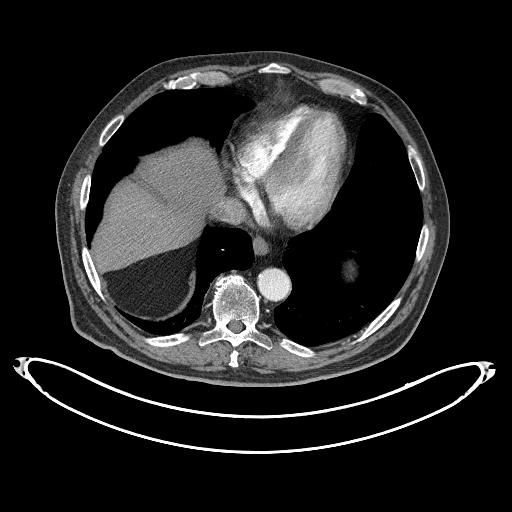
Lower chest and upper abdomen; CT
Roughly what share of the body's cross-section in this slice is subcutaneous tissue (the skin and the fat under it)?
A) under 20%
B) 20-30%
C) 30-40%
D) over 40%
Answer: A) under 20%
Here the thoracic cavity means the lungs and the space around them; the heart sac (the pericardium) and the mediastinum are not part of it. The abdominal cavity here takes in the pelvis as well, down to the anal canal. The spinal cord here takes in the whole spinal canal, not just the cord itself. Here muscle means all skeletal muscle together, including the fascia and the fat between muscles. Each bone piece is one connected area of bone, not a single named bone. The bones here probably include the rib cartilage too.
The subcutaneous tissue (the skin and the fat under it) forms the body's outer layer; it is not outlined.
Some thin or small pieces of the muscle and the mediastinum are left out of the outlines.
Outlined structures:
torso: (239, 387) (308, 383) (357, 371) (393, 355) (405, 345) (417, 327) (449, 243) (450, 215) (444, 182) (423, 128) (406, 102) (391, 88) (363, 73) (289, 51) (185, 55) (146, 68) (126, 83) (89, 123) (65, 163) (56, 190) (56, 240) (75, 331) (96, 345) (159, 373)
bones 1: (232, 367) (238, 366) (236, 348) (243, 341) (250, 340) (266, 349) (271, 348) (270, 337) (256, 326) (261, 315) (260, 297) (238, 274) (217, 277) (211, 299) (214, 324) (202, 331) (202, 336) (198, 341) (199, 345) (203, 346) (221, 339) (227, 340) (233, 347) (228, 363); inner edge: (236, 333) (237, 333) (238, 332) (239, 332) (243, 328) (243, 324) (240, 321) (236, 321) (235, 320) (232, 320) (231, 321) (230, 321) (229, 322) (229, 323) (228, 324) (228, 327) (229, 328) (229, 329) (230, 329) (233, 332) (235, 332)
bones 2: (164, 89) (175, 89) (176, 88) (190, 89) (196, 87) (198, 85) (206, 85) (207, 86) (224, 85) (230, 83) (231, 82) (231, 79) (227, 74) (222, 71) (218, 71) (217, 70) (205, 71) (204, 72) (195, 71) (163, 83) (163, 88)
bones 3: (361, 105) (366, 105) (368, 101) (367, 100) (366, 95) (360, 88) (353, 86) (339, 79) (335, 79) (334, 78) (322, 78) (321, 79) (319, 79) (317, 81) (317, 85) (322, 91) (326, 93) (337, 94) (342, 97) (344, 96) (347, 96) (352, 101) (356, 102)
bones 4: (351, 343) (355, 343) (356, 342) (358, 342) (359, 341) (363, 340) (370, 334) (374, 332) (379, 327) (380, 327) (391, 316) (391, 315) (398, 307) (402, 299) (402, 296) (396, 297) (367, 326) (366, 329) (363, 332) (363, 333) (358, 337) (355, 338) (351, 342)
bones 5: (103, 301) (105, 301) (105, 296) (102, 292) (101, 284) (97, 275) (97, 273) (95, 270) (95, 268) (93, 265) (89, 251) (86, 245) (82, 245) (81, 247) (81, 256) (82, 257) (82, 261) (83, 262) (83, 265) (84, 266) (85, 271) (90, 281) (90, 283)
bones 6: (420, 192) (423, 191) (425, 185) (425, 179) (424, 178) (424, 173) (422, 167) (422, 161) (417, 149) (411, 144) (409, 144) (407, 145) (406, 148) (407, 149) (408, 158) (411, 167) (413, 170) (415, 176) (415, 179)
bones 7: (155, 346) (169, 346) (170, 345) (175, 345) (176, 344) (181, 343) (184, 341) (188, 340) (190, 338) (190, 334) (188, 332) (179, 332) (178, 333) (175, 333) (174, 334) (171, 334) (166, 336) (147, 336) (146, 337) (143, 337) (143, 340) (145, 342)
bones 8: (100, 147) (102, 147) (107, 142) (107, 141) (112, 136) (112, 135) (116, 131) (116, 130) (119, 127) (119, 126) (123, 122) (125, 118) (125, 116) (123, 114) (120, 113) (114, 116) (104, 127) (99, 137) (99, 141) (98, 142) (98, 145)
bones 9: (304, 357) (312, 357) (314, 356) (316, 354) (316, 353) (313, 349) (309, 347) (307, 347) (306, 346) (300, 345) (288, 339) (286, 337) (282, 337) (280, 339) (279, 341) (279, 344) (280, 346) (292, 353) (294, 353) (297, 355) (303, 356)
bones 10: (414, 263) (416, 263) (420, 260) (424, 252) (424, 250) (425, 249) (425, 247) (428, 240) (428, 237) (429, 236) (429, 229) (426, 223) (423, 223) (422, 227) (421, 228) (420, 235) (418, 239) (418, 242) (417, 243) (417, 246) (416, 247) (416, 250) (415, 251)
bones 11: (84, 213) (85, 212) (85, 209) (89, 198) (89, 190) (90, 189) (90, 184) (91, 183) (91, 174) (90, 173) (87, 173) (83, 178) (82, 184) (81, 185) (81, 189) (80, 190) (80, 199) (79, 200) (79, 202) (80, 203) (80, 208)
bones 12: (275, 74) (288, 74) (290, 72) (290, 69) (289, 68) (288, 68) (285, 66) (283, 66) (282, 65) (281, 65) (280, 64) (279, 64) (277, 62) (270, 62) (267, 65) (266, 65) (264, 67) (261, 67) (260, 68) (259, 68) (257, 71) (258, 72) (258, 73) (274, 73)
abdominal cavity 1: (151, 321) (176, 314) (189, 300) (195, 284) (197, 247) (202, 232) (207, 226) (208, 212) (226, 193) (227, 184) (217, 152) (207, 139) (200, 136) (189, 136) (180, 142) (138, 157) (132, 171) (116, 182) (108, 194) (102, 218) (89, 250) (102, 287) (114, 305) (131, 315)
abdominal cavity 2: (346, 283) (351, 283) (355, 281) (355, 280) (357, 278) (359, 274) (359, 266) (356, 260) (355, 260) (353, 258) (347, 258) (345, 260) (344, 260) (343, 262) (342, 262) (342, 264) (341, 265) (341, 271) (340, 272) (341, 273) (340, 274) (341, 275) (341, 278) (342, 280)
thoracic cavity 1: (315, 350) (338, 345) (362, 333) (395, 297) (413, 263) (422, 224) (421, 197) (404, 145) (387, 120) (376, 112) (369, 114) (361, 126) (353, 167) (332, 209) (313, 229) (289, 240) (288, 247) (282, 256) (282, 262) (291, 278) (292, 291) (289, 297) (264, 320) (288, 338) with a hole at (346, 283) (351, 283) (355, 281) (355, 280) (357, 278) (359, 274) (359, 266) (356, 260) (355, 260) (353, 258) (347, 258) (345, 260) (344, 260) (343, 262) (342, 262) (342, 264) (341, 265) (341, 271) (340, 272) (341, 273) (340, 274) (341, 275) (341, 278) (342, 280)
thoracic cavity 2: (89, 249) (107, 194) (116, 181) (131, 171) (139, 155) (175, 143) (189, 135) (207, 138) (219, 152) (233, 120) (240, 113) (249, 110) (254, 105) (253, 100) (229, 90) (201, 86) (190, 90) (163, 90) (132, 112) (103, 147) (92, 173) (90, 198) (85, 213) (86, 241)
thoracic cavity 3: (145, 336) (186, 331) (205, 319) (210, 312) (210, 299) (216, 277) (223, 271) (246, 269) (252, 264) (251, 239) (245, 231) (220, 226) (208, 226) (205, 228) (198, 247) (194, 292) (184, 309) (176, 315) (165, 320) (151, 322) (131, 316) (115, 306) (118, 315) (137, 332)
mediastinum 1: (262, 319) (272, 313) (291, 291) (291, 281) (281, 256) (288, 240) (294, 236) (274, 236) (254, 224) (249, 206) (231, 191) (224, 171) (227, 193) (211, 208) (208, 225) (245, 230) (252, 239) (254, 261) (246, 270) (230, 270) (219, 275) (238, 273) (245, 278) (261, 297)
mediastinum 2: (344, 182) (354, 161) (356, 140) (360, 126) (366, 116) (373, 112) (373, 110) (337, 95) (326, 94) (290, 74) (256, 73) (224, 86) (213, 87) (225, 88) (249, 96) (255, 102) (253, 107) (266, 100) (304, 94) (331, 103) (342, 114) (348, 126) (352, 142) (351, 163)
mediastinum 3: (222, 166) (222, 164) (221, 163) (221, 162) (221, 156) (223, 153) (223, 150) (224, 149) (226, 141) (228, 138) (228, 136) (232, 130) (235, 122) (241, 116) (247, 112) (240, 114) (234, 120) (232, 127) (230, 130) (230, 132) (224, 142) (222, 150) (219, 153) (218, 153) (218, 155)
spinal cord: (236, 333) (237, 333) (238, 332) (239, 332) (243, 328) (243, 324) (240, 321) (236, 321) (235, 320) (232, 320) (231, 321) (230, 321) (229, 322) (229, 323) (228, 324) (228, 327) (229, 328) (229, 329) (230, 329) (233, 332) (235, 332)
pericardium: (281, 236) (296, 235) (309, 230) (327, 214) (331, 209) (333, 201) (343, 183) (350, 163) (351, 142) (347, 126) (341, 114) (331, 104) (308, 95) (266, 101) (253, 108) (236, 122) (222, 156) (223, 167) (232, 191) (248, 203) (252, 210) (252, 220) (254, 223) (274, 235)
muscle 1: (259, 373) (296, 373) (340, 361) (361, 352) (391, 331) (415, 304) (435, 240) (428, 172) (415, 140) (399, 117) (381, 98) (351, 79) (329, 72) (302, 70) (285, 62) (278, 62) (289, 67) (292, 75) (315, 87) (322, 77) (339, 78) (360, 87) (367, 95) (367, 106) (388, 120) (406, 147) (409, 143) (414, 145) (423, 161) (426, 185) (421, 196) (423, 222) (430, 229) (429, 240) (421, 260) (413, 264) (396, 296) (403, 296) (401, 304) (363, 341) (355, 344) (349, 341) (316, 351) (312, 358) (304, 358) (280, 347) (278, 341) (284, 336) (261, 319) (257, 326) (271, 337) (272, 348) (266, 350) (250, 341) (243, 342) (237, 348) (239, 366) (232, 368) (227, 364) (232, 349) (227, 341) (203, 347) (197, 343) (201, 331) (213, 324) (210, 313) (187, 331) (191, 334) (188, 341) (169, 347) (151, 346) (117, 315) (103, 288) (106, 301) (100, 299) (89, 283) (81, 261) (80, 247) (86, 242) (79, 190) (82, 178) (92, 172) (101, 152) (97, 142) (102, 129) (83, 158) (69, 199) (70, 253) (75, 279) (91, 308) (115, 334) (140, 352) (163, 362) (196, 370) (238, 368)
muscle 2: (126, 117) (150, 96) (161, 91) (163, 89) (162, 83) (169, 79) (195, 70) (204, 71) (217, 69) (227, 73) (232, 79) (232, 82) (257, 72) (256, 71) (259, 67) (268, 63) (263, 62) (242, 66) (215, 64) (179, 70) (157, 80) (127, 104) (117, 113) (121, 112)